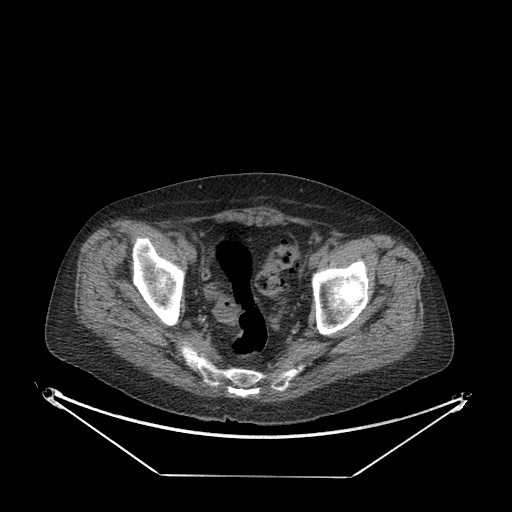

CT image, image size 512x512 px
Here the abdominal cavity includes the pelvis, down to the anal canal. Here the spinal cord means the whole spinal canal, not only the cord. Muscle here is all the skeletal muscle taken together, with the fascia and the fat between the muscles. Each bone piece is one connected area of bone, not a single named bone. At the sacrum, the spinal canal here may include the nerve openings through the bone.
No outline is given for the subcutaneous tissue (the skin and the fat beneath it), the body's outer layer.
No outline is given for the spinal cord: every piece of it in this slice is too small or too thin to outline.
abdominal cavity: [[202,220],[233,221],[258,226],[291,222],[327,230],[329,237],[309,259],[309,268],[315,270],[310,277],[312,301],[305,333],[307,337],[292,341],[265,371],[237,366],[224,368],[216,348],[184,319],[184,286],[188,262],[180,245],[168,236],[167,229]]
bones 1: [[358,259],[363,260],[367,267],[368,295],[369,296],[368,302],[357,317],[343,328],[328,335],[319,333],[316,327],[316,320],[315,319],[315,303],[313,299],[313,292],[311,284],[312,274],[316,270],[327,267],[336,267],[337,268],[341,267],[343,268]]
bones 2: [[137,237],[147,237],[150,240],[155,249],[155,251],[160,256],[178,265],[185,271],[185,278],[184,279],[183,291],[180,300],[180,312],[178,317],[178,321],[175,325],[169,326],[165,324],[159,318],[144,300],[132,281],[132,277],[133,276],[132,247]]
bones 3: [[183,344],[189,345],[221,369],[237,367],[271,373],[281,372],[301,364],[304,368],[289,381],[288,386],[282,391],[271,388],[270,383],[264,381],[260,384],[258,393],[241,397],[229,392],[226,382],[216,386],[204,382],[200,372],[186,363],[180,350]]
torso: [[239,172],[277,172],[320,181],[371,203],[405,226],[434,264],[442,282],[454,334],[454,353],[448,366],[346,412],[300,423],[256,425],[229,419],[224,423],[203,421],[154,408],[51,354],[44,341],[44,324],[54,280],[75,235],[95,212],[146,190]]
muscle: [[257,206],[321,221],[358,236],[387,234],[401,240],[417,255],[424,273],[420,282],[424,325],[414,349],[401,359],[280,402],[208,397],[184,390],[135,367],[114,354],[100,337],[78,321],[74,291],[80,248],[93,232],[112,219],[157,222]]; inner edge: [[202,220],[321,227],[329,237],[311,254],[310,269],[343,268],[358,259],[367,267],[368,302],[343,328],[319,333],[312,300],[307,337],[292,341],[263,372],[304,365],[282,391],[264,381],[258,393],[241,397],[229,392],[226,382],[208,385],[186,363],[180,346],[189,345],[221,369],[222,358],[184,319],[184,292],[178,321],[169,326],[132,281],[132,247],[137,237],[147,237],[160,256],[186,272],[186,255],[167,229]]